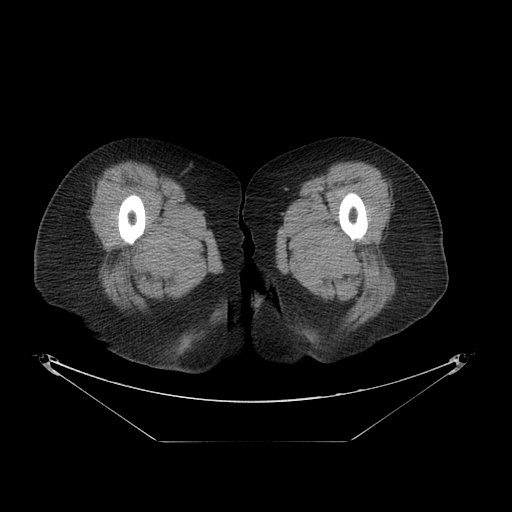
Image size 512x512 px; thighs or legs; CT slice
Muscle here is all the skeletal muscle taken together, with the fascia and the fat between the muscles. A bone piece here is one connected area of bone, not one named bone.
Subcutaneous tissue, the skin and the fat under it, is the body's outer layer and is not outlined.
{"bones":[[[130,194],[136,194],[140,197],[144,206],[145,215],[146,216],[146,218],[145,219],[145,227],[144,228],[143,233],[139,237],[138,237],[132,244],[129,244],[125,242],[120,236],[119,231],[118,230],[118,212],[119,211],[119,207],[122,201]],[[349,192],[354,192],[356,193],[362,199],[366,210],[366,215],[368,220],[368,222],[367,223],[367,229],[365,234],[360,240],[357,240],[356,239],[353,240],[351,239],[350,237],[344,232],[341,228],[339,223],[339,219],[338,218],[339,205],[343,197]]],"right_leg":[[[133,135],[160,138],[197,152],[230,169],[241,183],[243,203],[239,224],[244,235],[242,316],[247,326],[246,346],[236,361],[221,363],[201,374],[150,368],[106,350],[76,315],[46,303],[34,286],[36,233],[57,185],[68,170],[94,148]]],"muscle":[{"outer":[[338,160],[363,160],[385,172],[391,184],[394,200],[394,212],[387,229],[384,249],[387,263],[395,277],[395,294],[388,307],[373,319],[344,337],[337,331],[339,320],[337,308],[290,284],[277,271],[275,263],[277,231],[282,213],[289,200],[304,181]],"hole":[[349,192],[354,192],[356,193],[362,199],[366,210],[366,215],[368,220],[368,222],[367,223],[367,229],[365,234],[360,240],[357,240],[356,239],[353,240],[351,239],[350,237],[344,232],[341,228],[339,223],[339,219],[338,218],[339,205],[343,197]]},{"outer":[[129,159],[147,163],[177,181],[202,208],[212,227],[219,248],[223,269],[221,272],[205,279],[186,296],[184,296],[177,302],[156,306],[147,313],[125,315],[115,308],[102,295],[98,283],[100,248],[87,217],[87,204],[91,189],[99,174],[110,165]],"hole":[[130,194],[136,194],[140,197],[144,206],[145,215],[146,216],[146,218],[145,219],[145,227],[144,228],[143,233],[139,237],[138,237],[132,244],[129,244],[125,242],[120,236],[119,231],[118,230],[118,212],[119,211],[119,207],[122,201]]}],"left_leg":[[[334,135],[375,141],[403,158],[424,180],[442,223],[448,286],[425,317],[361,353],[333,363],[309,357],[294,365],[263,363],[254,357],[247,338],[253,315],[247,305],[248,292],[261,287],[251,258],[254,246],[241,217],[247,184],[254,172],[275,156]]]}